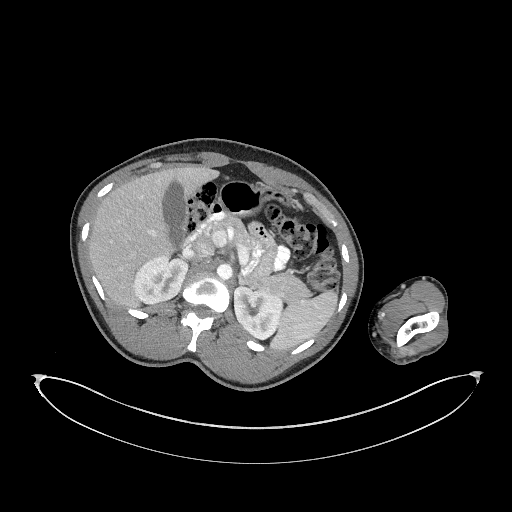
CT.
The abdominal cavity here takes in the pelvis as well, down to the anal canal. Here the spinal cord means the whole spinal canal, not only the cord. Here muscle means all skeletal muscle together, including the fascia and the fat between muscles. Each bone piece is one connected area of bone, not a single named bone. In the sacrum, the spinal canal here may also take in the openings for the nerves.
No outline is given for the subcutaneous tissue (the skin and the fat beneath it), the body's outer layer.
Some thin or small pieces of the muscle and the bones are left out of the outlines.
{"bones":[{"outer":[[192,352],[195,351],[195,342],[200,332],[211,328],[219,314],[226,309],[229,303],[229,292],[226,285],[213,274],[207,272],[200,272],[193,275],[184,287],[182,293],[188,307],[180,320],[184,326],[187,325],[192,330],[192,337],[187,346],[188,350]],"hole":[[201,318],[203,318],[204,317],[206,317],[207,316],[210,316],[212,315],[213,314],[213,312],[211,310],[211,309],[207,306],[205,305],[203,305],[202,304],[200,304],[199,305],[196,305],[195,306],[192,306],[192,310],[199,317]]},[[397,347],[399,347],[406,343],[413,336],[414,336],[416,334],[418,333],[426,332],[427,331],[429,331],[433,329],[438,323],[438,321],[439,320],[439,314],[436,311],[430,311],[424,314],[412,316],[407,319],[397,331],[397,333],[396,334],[396,346]],[[333,226],[336,226],[338,223],[334,218],[333,215],[327,209],[327,208],[322,203],[321,203],[315,197],[315,196],[313,194],[309,192],[303,192],[303,196],[304,198],[309,203],[310,203],[312,205],[316,207],[320,212],[320,213],[321,213],[322,215]],[[291,354],[295,354],[296,353],[298,353],[299,352],[300,352],[301,351],[304,350],[309,346],[310,346],[313,343],[313,342],[314,341],[314,338],[311,338],[310,339],[307,340],[305,342],[304,342],[303,343],[300,344],[295,348],[294,348],[291,351]],[[140,319],[143,319],[144,318],[146,318],[148,316],[148,315],[147,314],[147,313],[146,313],[145,312],[144,312],[141,310],[139,310],[138,309],[135,309],[134,308],[127,308],[127,311],[131,315],[132,315],[135,317],[137,317]],[[255,351],[262,351],[263,350],[264,350],[264,349],[265,348],[265,347],[263,345],[262,345],[260,343],[259,343],[258,342],[257,342],[254,340],[248,340],[246,342],[246,344],[248,346],[248,347],[250,349],[251,349],[252,350],[254,350]],[[103,300],[105,300],[106,299],[106,297],[105,296],[105,295],[104,294],[104,292],[101,287],[101,285],[99,283],[99,282],[98,281],[96,276],[95,275],[92,275],[92,280],[93,281],[93,283],[95,285],[99,295]],[[98,197],[101,197],[102,196],[103,196],[106,193],[107,193],[112,188],[112,187],[113,186],[113,183],[112,182],[111,182],[110,183],[108,183],[107,184],[106,184],[104,186],[103,186],[97,192],[97,196]],[[337,311],[340,311],[341,310],[341,309],[343,307],[343,306],[344,305],[344,304],[346,301],[346,299],[347,298],[347,296],[346,295],[346,293],[344,291],[342,291],[342,293],[341,294],[341,296],[340,297],[340,300],[338,303],[338,307],[337,308]]],"spinal_cord":[[[201,318],[203,318],[204,317],[206,317],[207,316],[210,316],[212,315],[213,314],[213,312],[211,310],[211,309],[207,306],[205,305],[203,305],[202,304],[200,304],[199,305],[196,305],[195,306],[192,306],[192,310],[199,317]]],"left_arm":[[[399,365],[404,365],[415,362],[422,357],[428,356],[437,352],[445,344],[447,340],[449,331],[447,319],[448,296],[444,286],[434,277],[428,275],[420,275],[403,281],[379,299],[375,303],[370,312],[367,323],[367,330],[369,339],[373,347],[386,359]]],"muscle":[{"outer":[[242,383],[258,383],[277,376],[320,350],[338,329],[354,295],[358,277],[357,255],[342,217],[325,197],[299,176],[262,162],[235,159],[217,152],[200,151],[146,158],[112,173],[91,190],[79,212],[78,260],[86,287],[115,338],[130,352],[151,359],[170,359],[189,351],[186,346],[191,337],[191,330],[187,326],[184,327],[179,320],[187,304],[183,299],[143,310],[149,316],[140,320],[107,296],[105,301],[100,298],[91,280],[91,275],[94,274],[87,255],[87,240],[83,242],[80,239],[80,230],[86,221],[91,221],[101,200],[96,196],[96,192],[103,185],[112,181],[115,187],[124,181],[161,170],[221,166],[238,162],[267,181],[296,189],[301,195],[303,191],[313,193],[338,221],[333,230],[339,246],[344,243],[350,256],[348,263],[342,259],[342,290],[347,293],[348,298],[342,310],[336,310],[327,325],[315,336],[315,341],[310,347],[295,355],[290,354],[291,350],[274,350],[267,346],[262,352],[250,350],[245,342],[252,339],[235,321],[230,304],[212,328],[199,335],[196,355],[220,376]],"hole":[[151,168],[155,168],[156,167],[158,167],[159,166],[160,166],[161,165],[161,162],[154,162],[153,163],[151,163],[149,165],[149,167],[150,167]]},{"outer":[[393,357],[404,357],[417,354],[421,351],[426,350],[438,344],[443,338],[444,335],[442,316],[442,311],[444,306],[443,295],[435,285],[428,281],[425,280],[415,281],[401,291],[386,298],[382,302],[376,314],[375,327],[376,333],[378,336],[378,340]],"hole":[[397,347],[399,347],[406,343],[413,336],[414,336],[416,334],[418,333],[426,332],[427,331],[429,331],[433,329],[438,323],[438,321],[439,320],[439,314],[436,311],[430,311],[424,314],[412,316],[407,319],[397,331],[397,333],[396,334],[396,346]]}],"torso":[[[240,391],[257,391],[281,384],[313,366],[338,342],[354,315],[363,287],[364,259],[359,240],[326,185],[301,164],[278,152],[211,137],[188,138],[146,149],[95,177],[74,204],[69,247],[81,295],[101,334],[128,360],[149,367],[191,362],[214,381]]],"abdominal_cavity":[[[274,349],[292,349],[314,337],[333,315],[341,293],[341,256],[332,226],[298,191],[267,182],[246,166],[233,163],[144,175],[102,198],[87,238],[88,255],[110,299],[142,310],[157,307],[181,300],[182,289],[193,274],[211,272],[227,285],[242,329]]]}